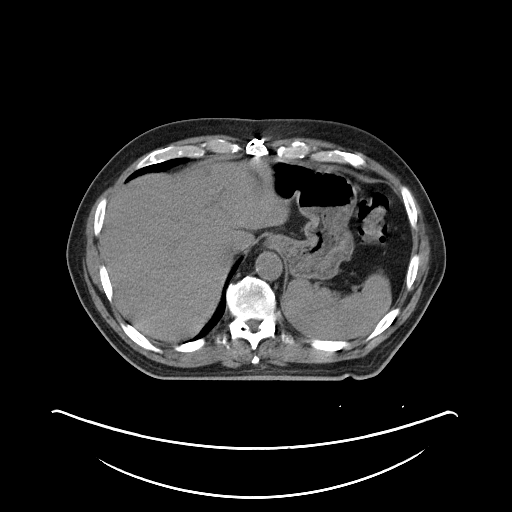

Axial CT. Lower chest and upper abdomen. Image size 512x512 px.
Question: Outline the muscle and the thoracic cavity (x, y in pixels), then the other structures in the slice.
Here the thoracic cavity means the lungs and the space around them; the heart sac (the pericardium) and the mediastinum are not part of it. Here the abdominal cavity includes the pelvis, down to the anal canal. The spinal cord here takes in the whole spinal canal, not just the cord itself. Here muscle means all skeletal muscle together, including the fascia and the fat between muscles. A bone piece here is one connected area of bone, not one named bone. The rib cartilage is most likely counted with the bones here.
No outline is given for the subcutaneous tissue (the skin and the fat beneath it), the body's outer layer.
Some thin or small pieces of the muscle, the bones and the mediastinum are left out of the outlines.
Answer: {"muscle":[{"outer":[[211,134],[250,139],[244,147],[237,142],[215,137],[199,143],[169,144],[152,149],[137,162],[135,170],[115,189],[109,199],[102,196],[96,205],[93,234],[95,237],[99,235],[99,252],[103,260],[98,267],[99,279],[107,300],[110,303],[113,300],[125,320],[118,321],[124,333],[137,345],[156,353],[161,354],[163,350],[150,340],[175,344],[173,349],[177,352],[193,352],[206,343],[204,337],[221,321],[227,311],[231,318],[227,324],[230,339],[246,340],[253,351],[261,340],[276,337],[277,321],[282,314],[287,323],[296,332],[309,337],[310,345],[319,351],[333,353],[349,348],[350,341],[366,334],[364,341],[371,340],[382,333],[399,314],[400,308],[394,307],[396,301],[404,284],[408,291],[412,288],[418,273],[420,256],[418,253],[412,254],[412,229],[417,229],[418,211],[409,188],[420,206],[426,226],[430,247],[428,273],[411,314],[366,355],[335,362],[283,366],[172,366],[152,360],[132,348],[96,309],[84,278],[82,264],[86,247],[85,227],[94,202],[124,169],[151,149],[188,137]],"holes":[[[281,333],[284,333],[285,334],[286,334],[287,335],[288,335],[289,336],[290,336],[292,338],[292,339],[293,340],[293,341],[291,343],[289,343],[288,342],[284,342],[283,341],[282,341],[281,340],[281,339],[280,338],[280,334]],[[224,336],[226,336],[226,337],[227,338],[227,343],[228,344],[228,345],[229,346],[229,347],[228,348],[227,348],[226,347],[226,346],[224,344],[223,344],[222,343],[218,343],[217,342],[216,342],[216,339],[217,338],[219,338],[220,339],[221,339]],[[254,355],[255,355],[256,355],[257,356],[258,357],[259,358],[259,359],[259,360],[259,361],[258,362],[258,363],[257,364],[256,364],[255,364],[254,364],[253,364],[252,363],[251,362],[251,361],[251,360],[252,359],[252,358],[253,357],[253,356]]]},[[266,135],[270,136],[299,136],[321,139],[335,143],[346,148],[359,151],[377,161],[400,179],[404,184],[402,184],[399,187],[399,192],[401,197],[390,185],[388,180],[368,168],[362,168],[365,167],[367,163],[366,160],[359,153],[346,150],[340,150],[337,148],[318,149],[315,146],[311,146],[304,141],[298,139],[293,140],[287,145],[283,144],[279,145],[274,151],[270,151],[265,144],[266,138],[264,136]]],"thoracic_cavity":[[[238,262],[236,270],[231,277],[230,281],[227,285],[225,290],[225,312],[220,321],[205,336],[193,340],[189,340],[188,341],[178,343],[192,338],[195,336],[210,320],[216,311],[218,305],[220,303],[224,285],[230,273],[230,271],[234,265]],[[182,157],[186,157],[188,158],[188,160],[184,163],[181,163],[163,171],[150,171],[149,172],[146,172],[140,175],[138,175],[136,177],[134,177],[129,181],[125,181],[126,178],[136,170],[138,170],[141,168],[153,164],[161,163],[170,159],[181,158]]],"torso":[[[197,117],[312,118],[347,123],[382,139],[400,155],[418,177],[442,229],[446,266],[442,280],[420,320],[379,373],[361,380],[349,376],[342,380],[158,379],[129,363],[91,320],[78,298],[66,263],[68,235],[85,191],[106,162],[137,135],[164,123]]],"spinal_cord":[[[249,319],[257,319],[258,320],[259,320],[260,321],[260,322],[259,323],[259,324],[258,325],[258,326],[257,327],[257,330],[256,330],[255,331],[252,331],[250,329],[250,328],[249,327],[249,326],[246,323],[246,321],[247,320],[248,320]]],"mediastinum":[[[261,240],[265,240],[271,244],[279,252],[279,254],[281,256],[283,262],[284,274],[282,278],[281,289],[277,303],[276,294],[271,286],[265,280],[257,276],[249,275],[248,274],[243,276],[235,282],[230,282],[232,277],[237,270],[240,261]],[[353,168],[358,168],[359,169],[368,169],[369,170],[370,170],[371,171],[376,173],[378,175],[379,175],[382,178],[377,178],[376,177],[373,177],[370,175],[366,175],[364,173],[362,173],[361,172],[359,172],[357,170],[356,170],[354,168]]],"bones":[{"outer":[[248,275],[257,277],[270,286],[275,294],[276,308],[281,314],[279,319],[276,321],[275,337],[266,337],[261,339],[254,350],[250,343],[244,338],[239,337],[234,340],[231,339],[228,324],[232,318],[226,310],[226,290],[228,285],[230,283],[235,283]],"hole":[[249,319],[257,319],[258,320],[259,320],[260,321],[260,322],[259,323],[259,324],[258,325],[258,326],[257,327],[257,330],[256,330],[255,331],[252,331],[250,329],[250,328],[249,327],[249,326],[246,323],[246,321],[247,320],[248,320]]},[[262,137],[265,138],[264,144],[269,150],[269,152],[265,155],[247,154],[243,148],[235,153],[216,153],[207,151],[202,157],[175,157],[135,169],[138,162],[149,152],[169,145],[199,144],[211,139],[221,138],[233,143],[237,143],[244,148],[251,139]],[[296,140],[302,141],[311,147],[315,147],[318,150],[337,149],[340,151],[359,154],[365,160],[366,164],[365,166],[359,168],[354,167],[347,163],[316,161],[312,160],[308,156],[304,158],[281,159],[276,155],[275,150],[279,146],[282,145],[287,146]],[[121,320],[125,322],[127,322],[129,324],[133,326],[134,328],[135,328],[140,333],[145,336],[156,347],[161,349],[162,350],[162,352],[161,353],[160,352],[156,352],[149,349],[146,349],[142,347],[140,345],[137,344],[125,333],[119,323],[119,321]],[[402,185],[404,185],[408,188],[414,200],[415,207],[417,211],[417,222],[416,223],[416,229],[413,229],[410,226],[410,223],[408,219],[408,216],[407,215],[407,213],[405,209],[405,206],[404,205],[404,203],[402,199],[402,196],[400,192],[400,187]],[[311,338],[315,338],[316,339],[319,339],[320,340],[348,341],[350,342],[350,346],[349,347],[345,347],[344,348],[342,348],[339,350],[336,350],[333,352],[328,352],[327,351],[319,350],[318,349],[314,348],[311,345],[310,341],[309,340]],[[395,307],[398,307],[399,308],[399,312],[398,314],[395,317],[393,321],[382,332],[376,335],[371,339],[367,341],[365,341],[365,339],[367,337],[367,336],[372,331],[372,330],[375,327],[375,326],[378,323],[378,322],[392,308],[394,308]],[[102,197],[105,197],[106,198],[106,200],[107,202],[105,206],[105,213],[104,214],[104,217],[103,218],[103,223],[102,224],[101,229],[99,232],[99,234],[98,236],[95,236],[94,234],[94,216],[95,215],[95,211],[96,210],[97,205]],[[414,254],[418,254],[419,256],[419,263],[418,264],[417,273],[416,274],[415,279],[411,286],[411,288],[409,290],[408,290],[406,288],[405,279],[406,278],[406,273],[407,272],[407,269],[408,268],[408,265],[409,264],[410,258],[411,256]],[[101,264],[103,264],[105,266],[105,268],[107,271],[107,274],[108,275],[108,277],[111,284],[111,288],[112,289],[112,301],[111,302],[110,302],[108,300],[105,294],[105,292],[103,289],[102,284],[101,283],[100,275],[99,274],[99,267]],[[200,338],[204,338],[205,339],[205,343],[200,348],[196,350],[194,350],[193,351],[187,351],[186,352],[183,352],[182,351],[177,351],[174,349],[174,345],[176,344],[180,344],[181,343],[184,343],[185,342],[188,342],[189,341],[193,341]],[[281,333],[284,333],[285,334],[286,334],[287,335],[288,335],[289,336],[290,336],[292,338],[292,339],[293,340],[293,341],[291,343],[289,343],[288,342],[284,342],[283,341],[282,341],[281,340],[281,339],[280,338],[280,334]],[[224,336],[226,336],[226,337],[227,338],[227,343],[228,344],[228,345],[229,346],[229,347],[228,348],[227,348],[226,347],[226,346],[224,344],[223,344],[222,343],[218,343],[217,342],[216,342],[216,339],[217,338],[219,338],[220,339],[221,339]]],"abdominal_cavity":[[[270,152],[281,160],[347,164],[388,181],[402,200],[412,241],[393,307],[369,333],[349,341],[296,331],[277,307],[285,274],[282,256],[261,239],[233,265],[215,311],[195,335],[177,343],[149,339],[118,309],[100,252],[112,194],[124,181],[189,158]]]}